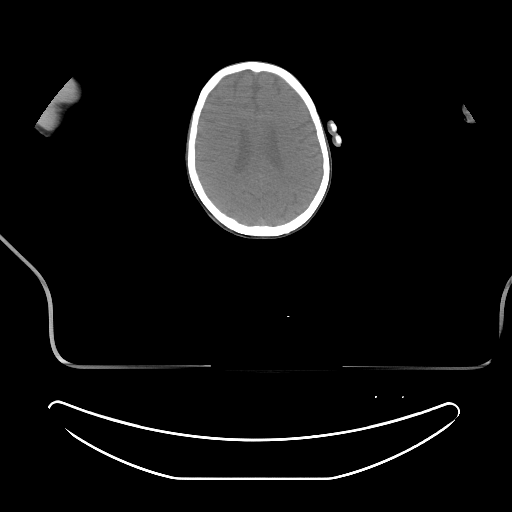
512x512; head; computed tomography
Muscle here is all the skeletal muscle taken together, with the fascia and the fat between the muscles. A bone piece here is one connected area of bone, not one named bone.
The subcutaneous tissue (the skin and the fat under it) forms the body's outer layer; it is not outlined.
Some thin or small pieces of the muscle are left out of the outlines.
head: (250, 60) (281, 66) (301, 82) (311, 96) (321, 121) (325, 122) (331, 143) (333, 176) (327, 199) (317, 215) (305, 228) (293, 235) (277, 240) (243, 239) (220, 229) (207, 217) (194, 199) (188, 186) (184, 166) (184, 145) (188, 121) (202, 86) (220, 68) (236, 62)
right arm 1: (73, 77) (76, 77) (82, 83) (84, 88) (84, 95) (81, 104) (79, 107) (70, 111) (67, 114) (63, 127) (59, 129) (54, 135) (49, 137) (45, 137) (41, 135) (34, 128) (38, 122) (38, 119) (48, 107) (55, 96) (62, 89) (65, 84) (69, 80) (71, 80)
right arm 2: (328, 120) (331, 120) (333, 122) (333, 123) (335, 126) (335, 129) (337, 132) (337, 134) (340, 137) (340, 145) (339, 146) (336, 146) (335, 145) (333, 145) (332, 144) (332, 143) (330, 140) (330, 138) (329, 137) (329, 134) (327, 131) (327, 128) (326, 127) (326, 122)
left arm: (461, 104) (463, 104) (466, 107) (466, 108) (467, 109) (467, 110) (469, 112) (469, 113) (471, 115) (471, 116) (475, 121) (475, 122) (473, 124) (472, 123) (467, 123) (463, 119) (463, 115) (462, 114) (462, 112) (461, 111) (461, 109) (460, 108) (460, 106) (461, 105)
muscle 1: (73, 79) (75, 80) (77, 85) (77, 92) (74, 100) (68, 102) (59, 102) (56, 104) (55, 108) (58, 115) (58, 118) (57, 121) (55, 123) (55, 125) (51, 130) (49, 130) (47, 128) (42, 127) (39, 125) (38, 119) (49, 106) (65, 84) (69, 80) (72, 80)
muscle 2: (328, 120) (331, 120) (332, 121) (330, 121) (329, 122) (329, 125) (334, 134) (333, 135) (333, 137) (334, 138) (334, 141) (336, 144) (338, 145) (340, 144) (339, 146) (336, 146) (335, 145) (333, 145) (333, 143) (332, 142) (332, 136) (328, 132) (327, 130) (327, 121)
bones 1: (250, 60) (269, 62) (281, 66) (291, 72) (301, 82) (315, 104) (328, 145) (330, 177) (322, 200) (313, 214) (303, 224) (289, 233) (277, 236) (242, 234) (222, 224) (198, 197) (190, 181) (186, 167) (186, 147) (190, 120) (192, 110) (202, 86) (220, 68) (236, 62), around a hole outlined by (246, 70) (254, 73) (266, 72) (278, 76) (299, 96) (305, 105) (313, 124) (321, 154) (321, 177) (313, 196) (303, 210) (282, 223) (247, 224) (240, 222) (228, 215) (222, 211) (209, 197) (202, 184) (196, 167) (196, 141) (198, 126) (202, 110) (209, 94) (226, 76)
bones 2: (330, 122) (333, 122) (333, 123) (335, 126) (335, 129) (336, 130) (335, 131) (335, 132) (340, 137) (340, 143) (339, 143) (338, 144) (337, 143) (336, 143) (336, 142) (335, 141) (335, 138) (334, 137) (334, 135) (335, 134) (334, 133) (334, 132) (330, 125)
brain: (246, 70) (254, 73) (266, 72) (278, 76) (299, 96) (305, 105) (313, 124) (321, 154) (321, 177) (313, 196) (303, 210) (282, 223) (247, 224) (240, 222) (228, 215) (222, 211) (209, 197) (202, 184) (196, 167) (196, 141) (198, 126) (202, 110) (209, 94) (226, 76)